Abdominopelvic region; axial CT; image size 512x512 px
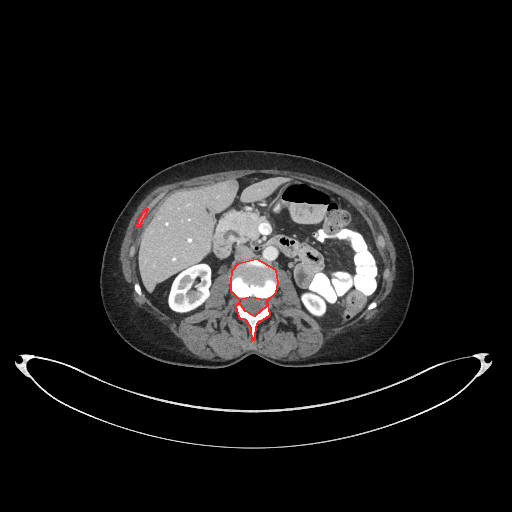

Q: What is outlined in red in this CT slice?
A: red: bones.
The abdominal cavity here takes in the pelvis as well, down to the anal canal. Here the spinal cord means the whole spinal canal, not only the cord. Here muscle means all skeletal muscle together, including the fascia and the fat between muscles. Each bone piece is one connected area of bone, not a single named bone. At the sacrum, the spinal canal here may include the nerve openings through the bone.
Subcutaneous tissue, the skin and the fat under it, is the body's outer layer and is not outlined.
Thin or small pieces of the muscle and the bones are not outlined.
Outlined structures:
bones 1: 251 341; 254 339; 257 323; 270 314; 267 300; 276 292; 278 282; 276 270; 257 259; 237 264; 231 271; 230 281; 230 290; 239 299; 249 296; 266 299; 266 306; 254 316; 245 311; 239 302; 235 306; 238 316; 245 319; 250 327
bones 2: 137 226; 139 226; 140 225; 140 224; 141 223; 141 222; 142 221; 143 218; 145 216; 145 215; 147 212; 147 210; 148 209; 146 209; 141 214; 140 217; 138 219; 138 221; 137 222; 137 224; 136 225
muscle: 208 361; 227 361; 248 350; 256 350; 276 359; 298 360; 306 358; 316 353; 327 341; 336 335; 350 328; 363 325; 375 317; 382 309; 381 305; 393 286; 396 253; 387 228; 372 204; 351 189; 329 180; 305 173; 278 169; 239 169; 215 172; 160 185; 150 191; 139 203; 129 221; 123 238; 119 259; 124 279; 131 291; 134 302; 139 307; 152 314; 163 323; 181 340; 185 348; 191 353; inner edges: 251 341; 270 314; 278 268; 293 281; 302 307; 324 323; 349 321; 376 306; 383 266; 367 221; 339 194; 284 175; 225 178; 158 196; 129 254; 136 261; 135 291; 181 318; 202 307; 214 278; 229 268; 230 290; 240 300; 235 310, then 137 226; 139 226; 140 225; 140 224; 141 223; 141 222; 142 221; 143 218; 145 216; 145 215; 147 212; 147 210; 148 209; 146 209; 141 214; 140 217; 138 219; 138 221; 137 222; 137 224; 136 225, then 382 247; 383 247; 384 246; 384 245; 385 244; 384 243; 384 241; 383 240; 383 238; 382 237; 382 236; 381 235; 378 235; 378 239; 380 241; 380 244; 381 245; 381 246
spinal cord: 252 315; 254 315; 256 313; 257 313; 262 308; 263 308; 265 306; 265 303; 266 302; 265 301; 265 299; 260 299; 259 298; 256 298; 255 297; 249 297; 248 298; 244 298; 240 300; 240 302; 241 303; 241 305; 242 307
abdominal cavity: 336 324; 356 317; 373 299; 383 268; 367 221; 339 194; 289 176; 258 173; 181 188; 164 196; 154 207; 140 234; 134 255; 142 291; 163 312; 177 318; 190 315; 202 307; 218 273; 257 258; 276 269; 285 269; 302 307; 324 323
torso: 200 368; 227 367; 252 354; 283 367; 345 363; 367 357; 387 344; 407 314; 414 267; 406 237; 382 200; 359 181; 329 164; 264 150; 204 154; 170 165; 144 181; 118 215; 107 238; 99 276; 102 305; 118 335; 137 351; 162 362